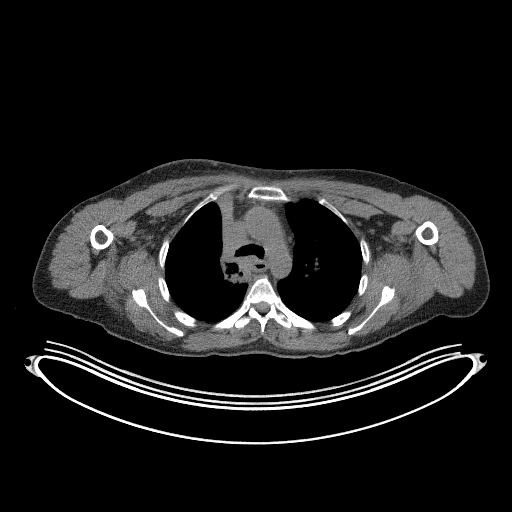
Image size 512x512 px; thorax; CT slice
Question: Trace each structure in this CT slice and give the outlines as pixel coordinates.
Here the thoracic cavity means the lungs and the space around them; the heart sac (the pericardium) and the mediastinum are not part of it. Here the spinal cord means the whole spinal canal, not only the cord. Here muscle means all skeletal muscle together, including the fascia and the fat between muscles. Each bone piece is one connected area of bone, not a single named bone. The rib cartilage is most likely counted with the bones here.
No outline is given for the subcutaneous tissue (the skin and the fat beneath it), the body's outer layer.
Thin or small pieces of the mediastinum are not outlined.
Answer: Outlined structures:
mediastinum: 235,193 240,196 246,195 248,199 278,201 285,203 284,205 285,216 294,238 292,265 288,275 280,279 277,282 275,288 266,274 263,274 256,278 249,285 247,282 245,272 229,258 229,248 233,235 233,194
thoracic cavity 1: 300,198 314,199 337,216 351,230 357,239 361,254 361,274 358,281 356,293 344,310 324,321 313,322 299,315 284,303 276,290 278,282 286,278 291,272 294,256 295,238 286,216 285,205 289,202 295,202
thoracic cavity 2: 230,194 232,194 232,235 228,248 228,258 244,272 248,287 240,305 229,315 216,322 199,320 182,310 172,299 168,285 165,279 166,258 168,254 170,243 182,226 202,207 211,202 217,202 220,198
spinal cord: 260,302 265,302 269,306 269,309 268,310 268,311 267,312 266,312 265,313 260,313 256,309 256,308 255,307 255,305 256,304 257,304 258,303 259,303
muscle: 229,172 265,180 297,177 345,181 376,187 404,197 418,194 437,201 453,214 473,248 476,264 474,283 460,297 436,293 406,316 365,335 353,336 349,344 336,349 284,349 262,338 235,347 201,351 173,346 135,328 108,306 101,296 79,299 55,288 51,283 48,269 52,250 58,236 70,223 74,214 88,204 111,197 123,199 136,191 168,179; inner edges: 256,185 278,186 294,200 324,197 344,216 357,240 367,242 369,261 361,264 367,285 345,308 351,315 341,325 325,320 314,321 314,330 286,328 271,318 261,333 260,323 252,318 242,328 213,330 215,323 204,320 191,327 175,317 174,310 181,309 174,300 163,298 158,277 164,278 165,270 158,254 164,238 171,241 211,191 219,199 242,196, then 137,288 142,288 144,290 147,303 153,312 167,325 169,326 173,326 183,331 184,334 182,336 177,336 175,334 165,329 155,320 151,314 144,307 141,307 136,303 133,299 132,293 131,292 133,289 136,289, then 97,224 103,224 107,228 108,228 113,233 113,235 114,236 114,237 113,238 111,243 107,247 106,247 103,249 96,249 95,248 92,247 92,246 90,243 90,238 89,237 90,236 90,232 91,231 92,228, then 426,220 429,220 431,221 436,226 438,230 438,239 437,241 434,244 432,244 431,245 426,245 422,243 420,241 419,241 419,240 416,237 415,235 415,230 416,228 419,225 420,225 424,221, then 385,285 387,285 395,289 394,291 394,295 392,299 389,302 382,305 359,330 356,331 352,335 350,335 347,331 348,330 348,328 350,327 354,327 358,325 367,317 379,302 381,298 381,292 382,291 382,289
bones 1: 263,275 267,276 283,303 299,316 312,322 316,326 316,329 309,330 296,326 286,328 272,318 265,324 263,333 260,331 260,323 254,318 242,328 234,326 219,330 211,328 213,324 229,316 241,305 249,286, around a hole outlined by 260,302 265,302 269,306 269,309 268,310 268,311 267,312 266,312 265,313 260,313 256,309 256,308 255,307 255,305 256,304 257,304 258,303 259,303
bones 2: 256,185 274,185 275,186 278,186 280,187 288,196 291,197 293,200 292,201 289,201 288,202 284,202 283,201 279,201 278,200 263,200 262,199 256,199 255,198 248,198 247,197 247,194 249,191
bones 3: 137,288 142,288 144,290 147,303 153,312 167,325 169,326 173,326 183,331 184,334 182,336 177,336 175,334 165,329 155,320 151,314 144,307 141,307 136,303 133,299 132,293 131,292 133,289 136,289
bones 4: 97,224 103,224 107,228 108,228 113,233 113,235 114,236 114,237 113,238 111,243 107,247 106,247 103,249 96,249 95,248 92,247 92,246 90,243 90,238 89,237 90,236 90,232 91,231 92,228
bones 5: 426,220 429,220 431,221 436,226 438,230 438,239 437,241 434,244 432,244 431,245 426,245 422,243 420,241 419,241 419,240 416,237 415,235 415,230 416,228 419,225 420,225 424,221
bones 6: 385,285 387,285 395,289 394,291 394,295 392,299 389,302 382,305 359,330 356,331 352,335 350,335 347,331 348,330 348,328 350,327 354,327 358,325 367,317 379,302 381,298 381,292 382,291 382,289
bones 7: 211,191 212,191 218,197 218,199 217,200 217,201 211,201 210,202 205,204 203,206 202,206 199,209 198,209 188,219 188,220 183,225 182,224 183,223 183,221 184,220 185,217 193,209 193,208
bones 8: 176,309 178,310 181,310 185,313 188,314 190,316 198,320 197,321 197,324 195,326 193,327 191,327 190,326 187,326 183,324 181,322 180,322 175,317 174,315 174,313 173,312 174,310
bones 9: 166,237 167,237 170,240 170,242 169,243 169,246 168,247 167,254 165,258 165,264 164,265 164,269 162,269 158,261 158,254 159,253 159,250 160,249 161,244 164,238
bones 10: 319,196 321,196 322,197 324,197 331,204 332,204 344,216 344,217 346,219 346,220 347,221 347,225 337,215 336,215 332,211 331,211 324,205 323,205 322,204 321,204 318,202 318,201 317,200 317,198
bones 11: 345,310 350,310 351,311 351,315 348,318 348,319 346,321 345,321 341,325 340,325 339,326 332,326 330,324 330,322 329,321 329,320 330,319 333,318 335,316 338,315 340,313 341,313 343,311 344,311
bones 12: 361,238 364,238 365,239 369,247 369,252 370,253 370,257 369,258 369,261 367,264 364,264 362,260 362,254 361,253 361,249 360,248 360,244 359,243 359,240
bones 13: 159,276 162,276 164,278 165,280 165,282 167,285 167,288 170,294 170,300 169,302 167,302 163,298 160,292 160,290 158,286 158,277
bones 14: 364,273 367,274 367,276 368,277 368,281 367,282 367,285 366,286 366,288 365,289 364,292 361,295 358,295 357,294 357,290 358,289 358,286 359,285 359,281 360,280 360,278 361,277 361,275
right arm: 112,187 116,191 121,207 121,238 118,253 112,271 110,286 103,310 93,322 90,322 77,319 70,315 47,308 35,299 32,293 31,287 34,268 45,239 50,230 58,220 72,207 79,202 89,197 99,194
torso: 182,158 209,158 274,169 356,168 386,174 415,185 410,215 411,235 439,315 369,348 322,358 284,358 260,353 236,356 175,356 142,347 107,333 100,325 93,323 106,305 122,238 122,207 114,186 149,168
left arm: 415,186 436,194 448,200 455,205 472,223 480,238 484,251 485,260 490,279 490,290 488,298 484,305 479,311 471,316 468,316 464,318 450,318 439,314 412,235 411,215 412,214 412,203 413,202